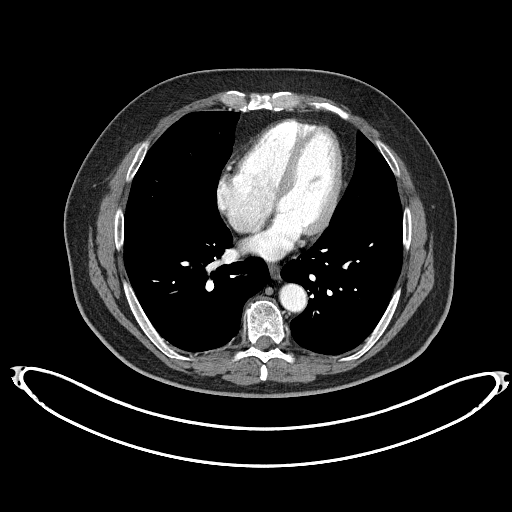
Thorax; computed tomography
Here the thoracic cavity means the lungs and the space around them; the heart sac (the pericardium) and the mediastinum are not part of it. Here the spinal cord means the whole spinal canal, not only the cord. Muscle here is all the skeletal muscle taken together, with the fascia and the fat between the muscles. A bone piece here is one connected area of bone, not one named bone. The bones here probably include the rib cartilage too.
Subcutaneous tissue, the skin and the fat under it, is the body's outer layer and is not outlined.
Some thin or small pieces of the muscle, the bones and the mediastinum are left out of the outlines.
Outlines (x, y in pixels):
thoracic cavity 1: 190 352; 225 345; 233 337; 235 341; 241 327; 245 303; 269 279; 262 258; 242 257; 217 207; 217 185; 232 152; 234 128; 239 116; 233 110; 194 111; 172 124; 149 148; 131 182; 124 210; 123 260; 129 281; 158 332; 170 344
thoracic cavity 2: 323 354; 344 353; 363 342; 384 311; 402 264; 402 207; 395 177; 376 147; 360 131; 357 132; 352 177; 328 225; 307 249; 286 262; 281 269; 283 279; 301 285; 307 298; 304 309; 288 323; 285 322; 289 326; 290 336; 299 346
spinal cord: 263 350; 266 350; 267 349; 268 349; 271 347; 273 347; 274 346; 274 345; 273 344; 271 339; 269 337; 268 337; 267 336; 262 336; 261 337; 260 337; 256 341; 256 343; 255 344; 255 346; 256 347; 257 347; 260 349; 262 349
pericardium: 271 261; 276 261; 293 253; 313 240; 327 224; 345 187; 349 171; 349 156; 339 134; 325 122; 303 116; 282 116; 265 122; 244 137; 234 150; 230 161; 222 172; 217 190; 218 207; 221 215; 238 236; 238 242; 244 250; 263 255
muscle 1: 239 385; 263 381; 259 378; 261 361; 258 358; 249 356; 237 361; 232 360; 233 354; 248 344; 245 339; 243 340; 241 333; 229 346; 199 353; 185 352; 172 346; 178 352; 189 356; 188 361; 167 357; 148 339; 135 321; 125 299; 121 280; 123 278; 128 280; 128 278; 122 260; 122 249; 117 251; 113 242; 114 212; 118 206; 124 209; 130 186; 130 183; 124 180; 125 172; 140 143; 147 138; 151 145; 172 123; 190 111; 224 108; 217 99; 222 91; 188 103; 162 117; 146 136; 126 153; 114 169; 108 178; 108 190; 99 205; 95 228; 89 228; 88 272; 90 281; 111 314; 167 366; 190 374; 220 374; 223 379
muscle 2: 278 382; 308 382; 318 374; 343 372; 368 359; 381 350; 403 327; 431 290; 434 280; 433 236; 427 231; 423 204; 401 158; 373 126; 345 105; 325 97; 295 92; 303 98; 302 104; 295 109; 315 110; 307 104; 309 101; 328 101; 347 111; 350 115; 347 120; 371 141; 379 138; 389 147; 401 168; 401 175; 396 177; 396 180; 403 208; 408 205; 411 209; 413 231; 410 248; 403 252; 402 269; 395 286; 395 289; 398 286; 402 288; 398 306; 388 327; 375 344; 358 359; 340 362; 340 357; 352 353; 361 345; 344 354; 323 355; 299 347; 288 334; 280 347; 291 352; 295 361; 288 363; 274 358; 266 363; 266 380
mediastinum 1: 347 184; 355 162; 355 140; 356 132; 359 130; 355 126; 337 115; 325 111; 284 110; 274 112; 262 109; 244 113; 239 112; 240 116; 235 128; 232 153; 244 136; 258 125; 274 117; 303 115; 329 123; 340 134; 350 156; 350 171
mediastinum 2: 287 322; 303 309; 306 298; 305 292; 301 286; 282 279; 280 269; 286 261; 297 257; 299 253; 307 248; 313 241; 309 242; 297 252; 276 262; 264 259; 269 270; 270 279; 261 290; 249 299; 266 298; 273 301; 283 312; 284 319
mediastinum 3: 243 257; 245 257; 248 255; 258 255; 248 253; 244 251; 241 248; 241 247; 239 246; 239 244; 237 242; 237 236; 236 236; 231 229; 230 229; 232 232; 232 234; 234 238; 234 243; 236 246; 238 247; 238 250; 243 255
bones 1: 262 380; 267 377; 265 363; 269 359; 279 357; 293 362; 294 356; 279 347; 285 335; 289 334; 288 326; 279 308; 266 299; 248 300; 243 311; 240 332; 249 344; 245 349; 238 350; 233 360; 249 355; 258 357; 262 361; 260 367, around a hole outlined by 263 350; 266 350; 267 349; 268 349; 271 347; 273 347; 274 346; 274 345; 273 344; 271 339; 269 337; 268 337; 267 336; 262 336; 261 337; 260 337; 256 341; 256 343; 255 344; 255 346; 256 347; 257 347; 260 349; 262 349
bones 2: 243 112; 262 108; 274 111; 284 109; 293 110; 301 104; 302 98; 298 94; 295 94; 290 91; 276 91; 271 94; 267 93; 259 94; 256 92; 251 92; 247 94; 237 90; 228 90; 219 96; 218 98; 219 101; 228 110; 234 109
bones 3: 184 360; 188 360; 189 357; 178 353; 171 346; 170 346; 157 332; 143 311; 129 282; 127 280; 123 279; 122 280; 122 285; 123 286; 123 289; 124 290; 124 293; 126 299; 136 321; 144 333; 149 339; 167 356; 171 358; 183 359
bones 4: 340 361; 352 360; 358 358; 367 351; 379 338; 387 327; 397 306; 401 293; 401 288; 400 287; 398 287; 394 291; 391 297; 391 299; 381 318; 371 333; 365 339; 361 347; 352 354; 340 358; 339 359
bones 5: 128 182; 130 182; 132 180; 135 173; 137 171; 139 166; 141 164; 144 158; 144 156; 150 145; 150 142; 147 139; 146 140; 144 140; 141 143; 141 144; 135 152; 135 154; 126 172; 126 176; 125 177; 125 180
bones 6: 395 176; 399 176; 400 175; 400 168; 393 154; 390 151; 388 147; 381 140; 379 139; 375 139; 373 140; 372 142; 377 147; 377 148; 379 150; 379 151; 387 162; 388 165; 390 167; 392 172
bones 7: 117 250; 120 250; 122 248; 122 246; 123 245; 123 210; 122 209; 122 208; 121 207; 118 207; 116 209; 116 211; 115 212; 115 216; 114 217; 114 242; 115 243; 115 247; 116 248; 116 249
bones 8: 405 250; 407 250; 409 248; 410 242; 411 241; 411 232; 412 231; 412 221; 411 220; 411 213; 410 212; 410 209; 408 206; 405 206; 403 209; 403 219; 402 220; 402 224; 403 225; 403 235; 402 236; 402 243; 403 244; 403 247
bones 9: 343 119; 347 119; 348 118; 349 116; 348 113; 344 111; 341 108; 335 105; 333 105; 328 102; 317 102; 316 101; 312 101; 308 103; 309 105; 312 106; 316 110; 320 110; 322 109; 326 111; 330 111; 331 112; 333 112; 337 114
torso: 257 398; 324 393; 397 369; 425 349; 449 309; 456 215; 444 169; 425 136; 397 103; 345 74; 307 68; 215 68; 160 81; 133 98; 107 124; 85 156; 67 197; 64 238; 72 287; 83 318; 99 339; 124 363; 161 382; 203 393